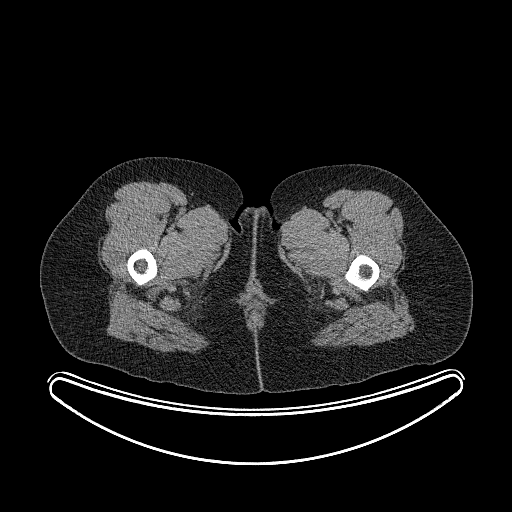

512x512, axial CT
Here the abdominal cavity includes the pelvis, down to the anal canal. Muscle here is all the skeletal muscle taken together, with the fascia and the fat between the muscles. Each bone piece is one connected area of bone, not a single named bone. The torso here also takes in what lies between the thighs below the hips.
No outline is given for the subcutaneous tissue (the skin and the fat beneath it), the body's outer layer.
The bones appear in 2 outlined pieces: piece 1: 358,254 365,254 371,257 378,264 379,266 379,277 377,279 377,280 368,289 368,290 366,291 364,290 361,290 356,286 349,283 345,279 344,277 344,275 346,271 348,269 351,262 353,260 353,259; piece 2: 143,247 148,249 152,253 156,261 156,263 157,264 157,274 154,278 148,281 146,283 142,285 138,285 129,274 128,270 127,269 126,263 127,262 127,259 128,257 134,251 135,251 137,249 139,249. The muscle appears in 3 outlined pieces: piece 1: 141,180 176,185 192,200 209,204 228,225 231,239 228,255 206,285 205,298 194,326 212,342 196,354 179,350 156,351 117,339 105,330 109,318 108,286 112,279 97,256 100,238 108,228 105,208 120,186 with a hole at 143,247 148,249 152,253 156,261 156,263 157,264 157,274 154,278 148,281 146,283 142,285 138,285 129,274 128,270 127,269 126,263 127,262 127,259 128,257 134,251 135,251 137,249 139,249; piece 2: 352,187 385,191 401,211 405,221 405,260 397,283 409,300 409,311 415,320 415,328 401,338 368,346 341,348 311,345 308,343 308,334 319,326 302,286 279,257 277,245 280,228 302,206 320,201 340,188 with a hole at 358,254 365,254 371,257 378,264 379,266 379,277 377,279 377,280 368,289 368,290 366,291 364,290 361,290 356,286 349,283 345,279 344,277 344,275 346,271 348,269 351,262 353,260 353,259; piece 3: 251,279 255,279 258,282 261,290 268,299 265,303 266,304 265,306 266,313 264,316 263,325 259,330 255,331 252,331 247,327 244,317 244,307 240,305 239,303 239,300 241,297 240,294 246,291 248,282 with a hole at 253,298 255,298 257,300 259,300 262,303 262,304 263,305 263,308 262,309 262,310 261,310 260,311 259,311 258,312 254,312 251,309 250,309 249,308 247,308 247,304. The torso is outlined by 260,205 265,205 270,210 273,219 273,235 272,236 272,246 270,258 270,269 265,282 263,291 261,294 256,317 256,313 253,305 253,299 251,294 251,286 237,232 237,230 240,228 237,217 245,206 259,206. The right leg is outlined by 147,156 177,157 211,165 227,173 241,189 243,207 230,222 236,229 256,318 260,392 242,395 207,392 169,382 150,381 111,367 85,362 70,355 50,327 39,281 41,256 48,237 99,175 121,162. The left leg is outlined by 348,163 378,166 401,177 415,189 456,238 466,256 473,280 473,305 467,335 454,354 433,364 408,366 347,385 281,393 263,391 258,360 257,317 271,269 274,219 269,204 270,195 279,182 298,171 317,166. The abdominal cavity is outlined by 253,298 255,298 257,300 259,300 262,303 262,304 263,305 263,308 262,309 262,310 261,310 260,311 259,311 258,312 254,312 251,309 250,309 249,308 247,308 247,304.